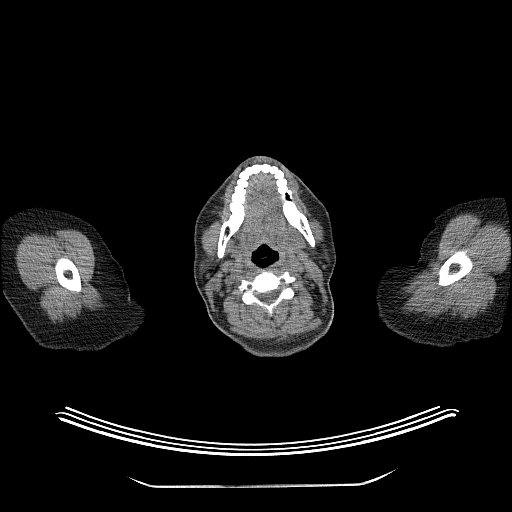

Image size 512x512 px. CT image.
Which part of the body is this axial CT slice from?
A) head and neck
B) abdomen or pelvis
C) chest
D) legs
Answer: A) head and neck
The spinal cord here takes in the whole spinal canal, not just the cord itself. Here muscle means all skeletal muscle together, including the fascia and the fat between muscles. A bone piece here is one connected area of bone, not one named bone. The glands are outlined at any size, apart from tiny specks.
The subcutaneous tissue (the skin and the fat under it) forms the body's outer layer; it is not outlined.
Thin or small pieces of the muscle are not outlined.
{"bones":[[[262,163],[275,165],[283,171],[292,200],[307,218],[315,246],[311,247],[304,236],[286,219],[275,180],[269,175],[254,175],[249,179],[245,189],[243,220],[227,241],[223,257],[219,258],[217,243],[220,229],[230,215],[229,205],[239,172],[247,166]],{"outer":[[262,268],[270,270],[276,275],[287,271],[291,276],[295,278],[295,280],[290,284],[294,292],[293,296],[290,299],[283,299],[275,307],[274,313],[270,317],[268,317],[265,310],[256,303],[246,304],[243,302],[242,293],[238,289],[242,279],[252,280]],"hole":[[273,290],[277,290],[278,291],[278,294],[275,298],[275,299],[272,302],[271,302],[270,303],[266,303],[265,302],[262,301],[259,298],[258,298],[258,297],[256,295],[257,294],[259,294],[260,293],[267,293],[268,292],[269,292],[270,291],[272,291]]},[[460,249],[466,249],[467,250],[467,254],[472,261],[472,267],[470,271],[464,276],[463,276],[458,280],[453,282],[451,284],[449,284],[446,286],[440,286],[438,284],[438,271],[440,267],[442,265],[442,264],[455,251],[457,250],[459,250]],[[64,256],[70,259],[74,263],[78,270],[78,272],[80,276],[80,279],[81,280],[81,285],[82,286],[82,289],[81,291],[79,292],[74,292],[65,288],[62,286],[57,280],[57,277],[55,272],[55,264],[56,263],[56,261],[60,257],[63,257]]],"left_arm":[[[484,196],[502,196],[508,216],[511,249],[510,273],[507,299],[499,331],[487,338],[449,347],[436,347],[413,343],[388,329],[377,316],[374,297],[378,280],[384,270],[397,262],[415,263],[420,255],[422,240],[435,226],[434,219],[446,208],[462,201]]],"spinal_cord":[[[273,290],[277,290],[278,291],[278,294],[275,298],[275,299],[272,302],[271,302],[270,303],[266,303],[265,302],[262,301],[259,298],[258,298],[258,297],[256,295],[257,294],[259,294],[260,293],[267,293],[268,292],[269,292],[270,291],[272,291]]],"parotid_glands":[[[207,256],[208,256],[209,257],[210,257],[211,258],[211,263],[209,265],[209,267],[208,267],[207,268],[207,269],[206,269],[205,270],[205,271],[202,274],[201,274],[200,273],[200,263],[202,261],[202,260],[203,260],[204,259],[204,258],[205,258]],[[324,243],[324,244],[325,245],[325,246],[326,247],[326,248],[327,249],[327,253],[328,254],[328,256],[329,257],[329,260],[327,262],[327,264],[325,262],[325,261],[322,258],[322,257],[321,256],[321,249],[322,248],[322,247],[324,245]]],"right_arm":[[[32,206],[45,206],[65,211],[87,221],[95,227],[113,257],[120,263],[129,287],[130,295],[142,302],[147,308],[147,319],[140,329],[128,338],[114,342],[95,352],[49,349],[40,346],[34,341],[6,300],[2,284],[3,222],[8,216],[16,211]]],"head_and_neck":[{"outer":[[251,156],[271,157],[281,162],[296,174],[323,203],[331,222],[336,252],[336,262],[329,281],[334,305],[331,324],[326,335],[313,345],[303,351],[285,357],[260,357],[253,355],[222,333],[210,320],[194,281],[194,226],[197,215],[209,196],[242,161]],"hole":[[262,245],[265,245],[266,246],[268,246],[270,248],[271,248],[272,250],[277,252],[277,259],[276,259],[275,261],[263,267],[257,265],[255,263],[254,263],[253,261],[252,261],[252,254],[253,252]]}],"muscle":[{"outer":[[284,171],[324,228],[326,317],[306,336],[259,342],[232,332],[210,311],[202,275],[212,258],[205,255],[201,236],[215,202],[238,173],[216,243],[216,256],[223,258],[244,220],[250,179],[269,176],[285,219],[314,248],[308,218],[293,200]],"hole":[[262,245],[277,252],[277,259],[263,267],[276,275],[287,271],[295,278],[290,284],[294,292],[293,296],[290,299],[283,299],[275,307],[274,313],[270,317],[256,303],[243,302],[242,293],[238,289],[242,279],[252,280],[262,268],[252,261],[253,252]]},{"outer":[[462,212],[479,213],[486,221],[498,220],[508,229],[510,254],[505,269],[496,276],[497,289],[492,303],[477,316],[467,319],[445,316],[432,318],[408,314],[401,301],[401,291],[404,284],[412,276],[426,268],[436,256],[435,251],[446,224],[452,217]],"hole":[[460,249],[466,249],[467,250],[467,254],[472,261],[472,267],[470,271],[464,276],[463,276],[458,280],[453,282],[451,284],[449,284],[446,286],[440,286],[438,284],[438,271],[440,267],[442,265],[442,264],[455,251],[457,250],[459,250]]},{"outer":[[64,228],[76,229],[82,232],[90,240],[95,256],[95,271],[92,283],[101,293],[102,300],[106,306],[103,309],[80,315],[75,319],[70,319],[61,323],[52,323],[40,307],[34,292],[30,290],[20,278],[14,258],[15,247],[20,238],[29,232]],"hole":[[64,256],[70,259],[74,263],[78,270],[78,272],[80,276],[80,279],[81,280],[81,285],[82,286],[82,289],[81,291],[79,292],[74,292],[65,288],[62,286],[57,280],[57,277],[55,272],[55,264],[56,263],[56,261],[60,257],[63,257]]}]}